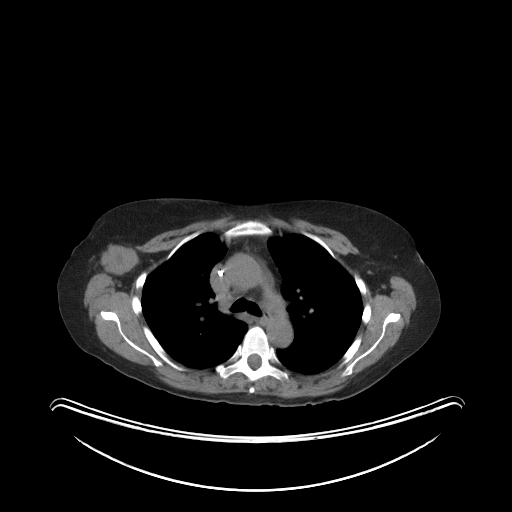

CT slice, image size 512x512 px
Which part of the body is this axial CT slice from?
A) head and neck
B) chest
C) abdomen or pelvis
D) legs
Answer: B) chest
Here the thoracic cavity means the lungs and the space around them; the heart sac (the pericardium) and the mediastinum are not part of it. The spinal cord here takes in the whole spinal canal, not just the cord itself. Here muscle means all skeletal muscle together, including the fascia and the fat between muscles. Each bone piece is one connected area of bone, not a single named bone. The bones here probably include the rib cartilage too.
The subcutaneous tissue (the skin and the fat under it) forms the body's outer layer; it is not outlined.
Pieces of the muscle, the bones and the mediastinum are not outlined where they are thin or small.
The torso is outlined by [[158,197],[203,198],[241,204],[328,199],[377,210],[402,225],[413,237],[438,285],[441,300],[439,321],[416,352],[372,386],[342,400],[297,407],[235,405],[188,399],[146,385],[86,353],[73,341],[58,309],[56,285],[72,249],[100,215],[126,202]]. The thoracic cavity appears in 2 outlined pieces: piece 1: [[205,232],[217,233],[226,248],[225,254],[214,264],[209,274],[209,283],[215,292],[218,308],[222,313],[245,322],[248,328],[241,342],[225,361],[214,367],[197,368],[175,361],[168,354],[147,324],[142,313],[141,296],[147,276],[168,260],[181,246]]; piece 2: [[284,232],[299,233],[320,245],[353,278],[361,295],[363,307],[361,321],[355,337],[339,360],[317,373],[304,374],[286,368],[275,350],[287,348],[294,339],[294,328],[287,310],[288,302],[282,294],[283,278],[268,249],[268,239],[274,234],[280,236]]. The bones appear in 10 outlined pieces: piece 1: [[252,326],[259,326],[264,331],[269,344],[275,351],[276,356],[282,365],[289,372],[287,379],[280,381],[273,376],[266,375],[251,382],[242,372],[235,372],[226,378],[222,378],[214,370],[215,366],[225,362],[233,354],[238,345],[242,342],[248,329]] with a hole at [[253,354],[255,354],[256,355],[258,355],[259,356],[259,357],[260,358],[260,360],[261,361],[261,363],[260,364],[260,365],[257,368],[255,368],[254,369],[253,368],[252,368],[248,364],[248,357],[250,355],[252,355]]; piece 2: [[102,310],[113,311],[119,319],[124,334],[132,342],[157,359],[160,357],[148,341],[142,328],[144,325],[146,325],[171,359],[187,369],[181,371],[165,362],[161,366],[155,366],[153,361],[147,355],[131,346],[123,338],[115,321],[102,318],[100,314]]; piece 3: [[391,312],[399,313],[400,318],[397,321],[389,322],[386,325],[384,335],[378,344],[368,354],[356,362],[352,368],[351,374],[342,377],[340,375],[346,365],[338,366],[342,356],[356,336],[361,336],[361,342],[354,357],[365,352],[381,334],[383,321]]; piece 4: [[247,219],[258,219],[262,221],[268,227],[269,227],[273,230],[273,234],[270,236],[266,236],[265,235],[240,235],[239,236],[237,236],[236,237],[234,237],[230,239],[227,239],[223,235],[223,233],[226,230],[233,227],[239,222],[241,222]]; piece 5: [[197,230],[203,230],[203,232],[202,232],[197,236],[194,237],[192,239],[187,241],[185,243],[184,243],[182,245],[181,245],[168,259],[166,259],[166,256],[169,253],[169,252],[185,236],[186,236],[187,235],[188,235],[189,234],[190,234]]; piece 6: [[303,230],[304,231],[306,231],[307,232],[312,233],[318,236],[325,243],[326,243],[335,255],[336,257],[336,259],[332,257],[332,256],[320,244],[319,244],[314,240],[311,239],[309,237],[302,234],[301,233],[301,231]]; piece 7: [[355,273],[358,274],[363,279],[363,280],[365,283],[365,286],[366,287],[366,292],[364,295],[362,295],[361,294],[361,293],[360,292],[360,291],[359,290],[359,289],[358,288],[358,287],[357,286],[357,285],[355,282],[355,280],[353,277],[353,275]]; piece 8: [[134,295],[136,295],[137,296],[138,296],[138,297],[139,298],[140,298],[140,302],[141,303],[141,313],[138,315],[137,315],[136,314],[135,314],[135,313],[133,311],[133,309],[132,308],[132,305],[131,304],[131,301],[132,300],[132,297]]; piece 9: [[365,303],[369,303],[369,304],[370,305],[370,307],[371,308],[371,315],[370,316],[370,318],[369,319],[368,322],[366,324],[363,323],[361,320],[361,318],[362,317],[362,313],[363,312],[363,308],[364,307],[364,304]]; piece 10: [[143,271],[146,271],[146,272],[147,273],[147,275],[146,276],[146,278],[145,279],[145,281],[144,282],[144,283],[143,284],[143,286],[142,287],[142,288],[141,289],[136,289],[136,287],[135,286],[135,284],[136,283],[136,279],[137,278],[137,277]]. The spinal cord is outlined by [[253,354],[255,354],[256,355],[258,355],[259,356],[259,357],[260,358],[260,360],[261,361],[261,363],[260,364],[260,365],[257,368],[255,368],[254,369],[253,368],[252,368],[248,364],[248,357],[250,355],[252,355]]. The mediastinum is outlined by [[219,234],[222,234],[227,240],[240,236],[269,237],[267,249],[282,278],[281,294],[287,302],[286,310],[293,328],[293,339],[287,347],[275,349],[270,344],[262,327],[259,325],[248,327],[245,321],[220,310],[216,292],[210,283],[213,267],[227,251]]. The muscle appears in 2 outlined pieces: piece 1: [[99,272],[110,275],[119,282],[117,289],[126,292],[137,276],[134,286],[136,290],[141,290],[141,295],[139,297],[134,294],[131,297],[131,308],[135,315],[142,314],[146,322],[141,327],[142,331],[159,358],[125,334],[120,319],[113,310],[102,309],[99,314],[102,319],[115,322],[122,338],[147,356],[155,367],[161,367],[165,363],[181,372],[188,369],[185,366],[213,368],[222,379],[242,373],[251,383],[266,376],[280,382],[285,381],[289,377],[289,370],[304,375],[317,374],[340,360],[337,367],[345,366],[339,375],[342,378],[351,375],[357,362],[379,344],[387,325],[401,318],[399,312],[389,312],[382,321],[378,337],[355,357],[362,342],[362,336],[357,334],[360,324],[366,325],[372,315],[370,303],[363,304],[362,301],[362,296],[367,292],[366,283],[373,294],[387,294],[390,277],[400,276],[411,284],[416,306],[408,325],[403,328],[395,344],[335,392],[320,396],[283,398],[255,394],[255,387],[251,385],[249,393],[202,393],[168,385],[148,366],[124,358],[99,339],[83,302],[90,278]]; piece 2: [[230,214],[236,218],[270,215],[289,220],[296,217],[337,230],[359,250],[359,254],[349,254],[347,260],[361,276],[356,272],[352,276],[337,260],[328,244],[318,235],[303,229],[300,233],[274,231],[258,218],[239,221],[222,233],[197,229],[185,235],[168,252],[165,260],[151,272],[148,274],[146,270],[145,270],[143,270],[138,275],[140,271],[150,264],[150,259],[155,255],[138,251],[139,248],[136,245],[142,245],[168,230]].